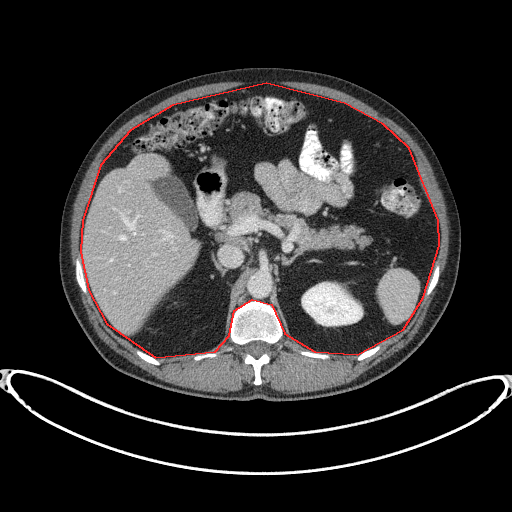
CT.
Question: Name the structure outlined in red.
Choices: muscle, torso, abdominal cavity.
Answer: red: abdominal cavity.
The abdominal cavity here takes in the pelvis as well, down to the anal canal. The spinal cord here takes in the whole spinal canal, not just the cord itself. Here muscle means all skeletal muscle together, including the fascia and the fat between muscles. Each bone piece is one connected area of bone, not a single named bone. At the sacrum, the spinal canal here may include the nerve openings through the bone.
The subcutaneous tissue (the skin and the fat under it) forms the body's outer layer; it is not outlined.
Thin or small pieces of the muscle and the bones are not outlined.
The abdominal cavity is outlined by 155,357 215,351 229,335 234,310 252,299 271,304 284,333 314,351 357,354 403,329 423,297 439,245 438,220 409,148 383,124 344,103 266,83 172,105 130,130 100,165 82,220 80,251 88,290 106,323. The bones appear in 7 outlined pieces: piece 1: 254,385 261,384 261,367 269,362 271,346 276,343 283,334 281,322 276,310 271,305 258,300 248,301 240,305 233,314 230,326 231,340 242,348 242,356 244,362 251,364 254,369, around a hole outlined by 255,357 258,357 260,356 263,353 265,352 267,352 269,350 269,348 270,346 267,343 265,342 263,342 262,341 252,341 244,345 243,347 244,348 244,351 246,353 249,353 251,355; piece 2: 86,294 88,293 88,291 87,290 87,287 86,286 86,283 85,282 85,279 84,278 84,275 83,274 83,269 82,268 82,265 81,264 81,260 80,258 78,257 75,261 75,275 76,276 76,280 81,290; piece 3: 425,296 428,296 430,294 432,290 435,287 438,281 438,279 439,278 439,265 437,263 436,263 434,266 434,268 432,272 432,275 429,280 428,285 426,288 426,291 425,292; piece 4: 322,359 327,359 328,358 329,358 330,357 330,354 328,354 327,353 320,353 319,352 314,352 313,351 309,351 308,350 299,350 298,351 302,355 305,355 306,356 308,356 309,357 313,357 314,358 321,358; piece 5: 156,365 159,365 160,364 160,361 159,360 158,360 156,358 155,358 154,357 143,352 141,350 139,350 138,349 137,349 136,350 136,353 142,359 143,359 145,361 146,361 149,363 152,363 153,364 155,364; piece 6: 357,360 362,360 367,357 369,357 371,355 372,355 374,353 375,353 379,349 380,346 378,344 377,345 376,345 374,347 373,347 372,348 370,348 369,349 362,352 357,356 357,357 356,358 357,359; piece 7: 195,360 199,360 200,359 202,359 203,358 205,358 206,357 214,357 215,356 217,356 219,354 219,353 218,352 213,352 212,353 211,353 210,352 207,352 206,353 202,353 201,354 197,354 193,357 193,358. The torso is outlined by 240,401 311,399 369,384 400,365 423,343 455,287 460,218 434,150 393,104 334,75 284,67 243,67 195,75 159,88 129,105 101,132 81,161 65,198 58,253 61,283 76,320 100,356 116,370 167,390. The spinal cord is outlined by 255,357 258,357 260,356 263,353 265,352 267,352 269,350 269,348 270,346 267,343 265,342 263,342 262,341 252,341 244,345 243,347 244,348 244,351 246,353 249,353 251,355. The muscle is outlined by 288,394 348,383 391,356 413,338 440,284 440,276 447,259 449,221 444,199 430,163 411,136 394,121 351,95 330,87 297,81 228,81 193,87 176,93 134,116 108,138 85,173 73,204 71,218 71,261 75,281 90,323 98,336 114,351 155,377 182,387 225,393 252,385 254,374 251,365 243,362 241,348 234,344 229,336 225,344 216,350 220,354 214,358 199,361 195,361 193,356 157,358 161,361 159,366 145,362 135,353 135,347 108,327 89,293 84,294 76,283 74,261 78,256 81,259 81,220 97,179 99,165 130,129 149,116 190,98 258,82 283,84 339,100 383,123 410,148 416,159 422,187 439,220 440,245 435,263 440,265 440,278 431,294 428,297 424,295 406,327 380,342 380,349 362,361 356,360 357,355 331,354 327,360 302,356 297,351 305,349 296,345 285,332 272,346 270,362 262,367 261,385.